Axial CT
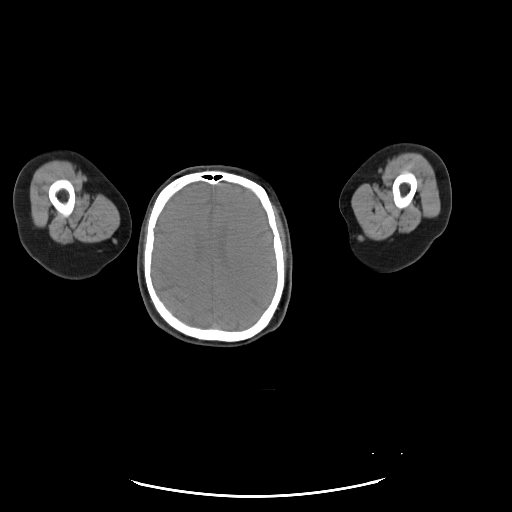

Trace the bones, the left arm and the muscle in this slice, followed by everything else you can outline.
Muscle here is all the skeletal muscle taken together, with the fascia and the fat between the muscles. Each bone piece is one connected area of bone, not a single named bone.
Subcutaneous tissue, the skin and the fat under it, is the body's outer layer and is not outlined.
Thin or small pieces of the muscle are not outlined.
Outlines:
bones 1: (203, 170) (233, 172) (245, 176) (264, 187) (272, 204) (275, 222) (284, 252) (284, 289) (272, 318) (267, 326) (260, 332) (250, 338) (236, 342) (200, 340) (187, 336) (171, 327) (155, 309) (144, 279) (144, 246) (147, 225) (157, 195) (162, 188) (172, 180) (184, 174); inner edge: (222, 181) (237, 184) (250, 190) (256, 196) (265, 212) (272, 233) (276, 272) (273, 294) (268, 305) (256, 321) (239, 330) (226, 330) (216, 327) (203, 328) (184, 322) (174, 315) (162, 301) (154, 287) (151, 275) (155, 228) (167, 202) (189, 184) (205, 182) (216, 185)
bones 2: (58, 179) (67, 179) (69, 180) (71, 182) (73, 186) (74, 192) (75, 193) (75, 203) (74, 204) (74, 207) (70, 215) (69, 215) (67, 217) (63, 216) (55, 209) (55, 208) (51, 203) (49, 199) (49, 196) (48, 195) (48, 189) (49, 188) (49, 186) (54, 181)
bones 3: (403, 171) (408, 171) (414, 174) (415, 177) (417, 179) (417, 187) (416, 188) (416, 191) (413, 196) (413, 198) (411, 202) (406, 207) (400, 209) (398, 208) (394, 203) (394, 201) (393, 200) (393, 194) (392, 193) (392, 185) (393, 184) (393, 182) (395, 178) (401, 172)
left arm: (403, 141) (426, 145) (441, 157) (447, 168) (451, 182) (452, 209) (445, 231) (433, 242) (421, 258) (411, 265) (398, 271) (391, 273) (377, 273) (362, 266) (352, 255) (347, 241) (348, 232) (346, 223) (340, 212) (338, 200) (340, 192) (347, 180) (370, 155) (388, 144)
muscle 1: (53, 159) (68, 160) (75, 164) (78, 168) (85, 172) (107, 194) (109, 198) (116, 205) (120, 213) (120, 225) (109, 239) (102, 241) (96, 245) (70, 245) (69, 244) (60, 245) (40, 235) (32, 227) (30, 223) (30, 204) (29, 203) (30, 180) (36, 168) (41, 164), around a hole outlined by (58, 179) (67, 179) (69, 180) (71, 182) (73, 186) (74, 192) (75, 193) (75, 203) (74, 204) (74, 207) (70, 215) (69, 215) (67, 217) (63, 216) (55, 209) (55, 208) (51, 203) (49, 199) (49, 196) (48, 195) (48, 189) (49, 188) (49, 186) (54, 181)
muscle 2: (405, 151) (413, 151) (422, 154) (432, 165) (435, 171) (437, 184) (440, 192) (441, 211) (436, 218) (421, 223) (414, 230) (409, 233) (386, 241) (369, 241) (361, 233) (356, 222) (350, 205) (351, 196) (355, 189) (361, 183) (370, 179) (373, 176) (384, 161) (400, 152) with a hole at (403, 171) (408, 171) (414, 174) (415, 177) (417, 179) (417, 187) (416, 188) (416, 191) (413, 196) (413, 198) (411, 202) (406, 207) (400, 209) (398, 208) (394, 203) (394, 201) (393, 200) (393, 194) (392, 193) (392, 185) (393, 184) (393, 182) (395, 178) (401, 172)
muscle 3: (271, 199) (279, 210) (279, 214) (282, 220) (282, 223) (286, 235) (286, 242) (287, 243) (286, 246) (288, 253) (287, 268) (286, 269) (286, 279) (285, 257) (284, 256) (284, 253) (285, 252) (283, 248) (283, 244) (280, 236) (280, 233) (277, 226) (276, 216)
muscle 4: (152, 205) (151, 209) (150, 210) (150, 212) (149, 213) (149, 215) (148, 216) (148, 218) (147, 219) (147, 224) (146, 225) (145, 241) (144, 242) (144, 245) (143, 246) (143, 264) (142, 263) (142, 245) (143, 244) (144, 227) (145, 226) (146, 219) (147, 218) (150, 207)
brain: (222, 181) (237, 184) (250, 190) (256, 196) (265, 212) (272, 233) (276, 272) (273, 294) (268, 305) (256, 321) (239, 330) (226, 330) (216, 327) (203, 328) (184, 322) (174, 315) (162, 301) (154, 287) (151, 275) (155, 228) (167, 202) (189, 184) (205, 182) (216, 185)
head: (200, 164) (227, 164) (243, 167) (264, 177) (272, 185) (281, 201) (290, 230) (293, 269) (291, 297) (286, 315) (273, 333) (238, 348) (213, 348) (177, 340) (163, 333) (148, 315) (139, 291) (136, 271) (137, 242) (140, 224) (148, 201) (155, 189) (171, 174) (182, 168)
right arm: (50, 149) (73, 150) (89, 159) (117, 188) (126, 200) (130, 210) (132, 218) (132, 233) (127, 245) (121, 253) (98, 274) (86, 279) (68, 280) (60, 278) (50, 273) (28, 255) (18, 239) (16, 223) (12, 208) (12, 193) (16, 178) (21, 168) (30, 158) (40, 152)